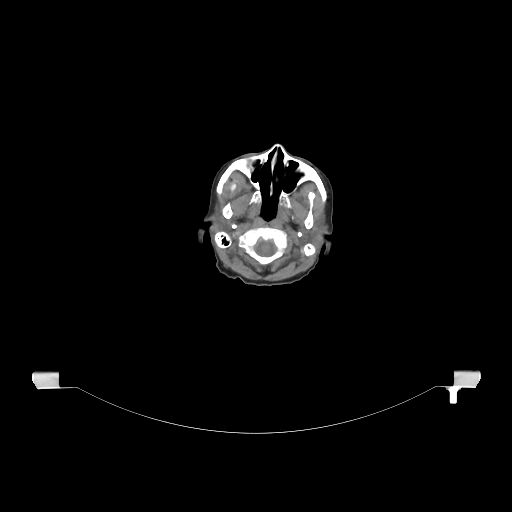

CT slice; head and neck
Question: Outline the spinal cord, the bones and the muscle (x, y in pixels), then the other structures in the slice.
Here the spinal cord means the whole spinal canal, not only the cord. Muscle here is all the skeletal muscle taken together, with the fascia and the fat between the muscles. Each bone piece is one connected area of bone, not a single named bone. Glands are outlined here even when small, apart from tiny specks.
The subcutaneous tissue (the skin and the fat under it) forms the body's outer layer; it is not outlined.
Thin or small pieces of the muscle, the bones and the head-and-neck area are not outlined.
Answer: Outlined structures:
spinal cord: [[259,239],[261,239],[263,241],[268,241],[269,240],[271,240],[272,241],[272,242],[273,243],[273,244],[275,246],[275,251],[271,255],[260,255],[258,253],[257,253],[256,252],[256,251],[255,250],[255,245],[257,243],[257,242],[259,240]]
bones 1: [[274,144],[280,144],[290,155],[316,170],[327,194],[325,202],[315,183],[307,180],[290,193],[291,207],[278,206],[282,189],[290,192],[302,176],[293,171],[298,166],[297,162],[290,161],[283,167],[280,147],[277,148],[272,172],[270,163],[275,147],[262,167],[258,159],[253,163],[252,179],[259,182],[261,205],[249,202],[254,187],[239,170],[234,170],[223,184],[221,193],[216,193],[220,176],[234,160],[262,153]]
bones 2: [[261,226],[270,226],[278,229],[281,229],[287,234],[288,245],[284,250],[284,253],[280,257],[273,260],[268,264],[261,264],[257,260],[250,256],[243,248],[238,246],[238,237],[239,235],[242,234],[248,229],[255,228],[256,227],[260,227]] with a hole at [[259,239],[261,239],[263,241],[268,241],[269,240],[271,240],[272,241],[272,242],[273,243],[273,244],[275,246],[275,251],[271,255],[260,255],[258,253],[257,253],[256,252],[256,251],[255,250],[255,245],[257,243],[257,242],[259,240]]
bones 3: [[217,231],[225,231],[227,233],[228,233],[230,235],[230,236],[232,239],[232,243],[230,246],[229,246],[228,247],[226,247],[225,248],[222,248],[221,247],[219,247],[216,244],[216,243],[214,240],[214,235],[215,234],[215,233]]
bones 4: [[310,191],[312,191],[314,193],[314,197],[313,198],[313,205],[312,206],[312,214],[313,215],[313,225],[310,228],[307,229],[304,225],[304,219],[306,217],[306,216],[307,215],[307,213],[308,212],[308,210],[309,209],[309,201],[308,200],[308,193]]
bones 5: [[306,243],[311,243],[315,247],[315,252],[313,254],[312,254],[311,255],[309,255],[308,256],[307,255],[305,255],[305,254],[302,251],[302,248],[303,247],[303,246]]
bones 6: [[228,202],[229,202],[230,203],[230,206],[231,207],[231,209],[232,210],[232,215],[231,216],[231,217],[230,218],[226,218],[225,217],[224,217],[223,216],[223,215],[222,214],[222,212],[221,211],[222,210],[222,208]]
muscle: [[234,171],[242,173],[253,187],[248,202],[261,206],[260,213],[265,220],[273,218],[278,207],[291,208],[291,193],[307,181],[314,183],[323,203],[327,199],[326,206],[314,226],[319,247],[314,261],[307,269],[285,279],[270,281],[246,278],[223,265],[216,245],[222,249],[228,248],[232,245],[233,239],[225,230],[217,230],[213,238],[214,227],[220,214],[219,206],[216,202],[216,194],[219,196],[222,193],[224,184]] with holes at [[261,226],[270,226],[278,229],[281,229],[287,234],[288,245],[284,250],[284,253],[280,257],[273,260],[268,264],[261,264],[257,260],[250,256],[243,248],[238,246],[238,237],[239,235],[242,234],[248,229],[255,228],[256,227],[260,227]] and at [[310,191],[312,191],[314,193],[314,197],[313,198],[313,205],[312,206],[312,214],[313,215],[313,225],[310,228],[307,229],[304,225],[304,219],[306,217],[306,216],[307,215],[307,213],[308,212],[308,210],[309,209],[309,201],[308,200],[308,193]] and at [[306,243],[311,243],[315,247],[315,252],[313,254],[312,254],[311,255],[309,255],[308,256],[307,255],[305,255],[305,254],[302,251],[302,248],[303,247],[303,246]] and at [[228,202],[229,202],[230,203],[230,206],[231,207],[231,209],[232,210],[232,215],[231,216],[231,217],[230,218],[226,218],[225,217],[224,217],[223,216],[223,215],[222,214],[222,212],[221,211],[222,210],[222,208]]
parotid glands 1: [[324,209],[325,209],[325,223],[327,226],[327,228],[326,229],[326,230],[325,231],[324,231],[321,234],[320,234],[318,237],[317,236],[317,235],[315,232],[315,226],[316,225],[316,222],[317,221],[318,218],[319,218],[322,215],[322,213],[323,212]]
parotid glands 2: [[215,203],[216,203],[217,204],[217,205],[218,206],[218,209],[219,210],[219,214],[217,217],[217,219],[216,220],[216,221],[216,220],[215,219],[214,219],[213,218],[212,218],[212,216],[214,213],[214,206],[215,205]]
head and neck: [[275,143],[312,161],[329,178],[334,198],[333,232],[325,237],[331,240],[332,248],[328,256],[322,249],[315,268],[298,281],[275,286],[248,285],[218,271],[208,235],[198,244],[197,230],[211,222],[204,222],[203,217],[219,167],[230,158],[266,150]] with a hole at [[275,148],[270,158],[270,172],[276,167],[280,148],[282,167],[286,168],[290,162],[297,163],[292,171],[300,173],[301,176],[290,191],[281,189],[275,215],[265,219],[261,213],[263,195],[260,182],[253,179],[256,170],[254,163],[258,160],[262,168]]